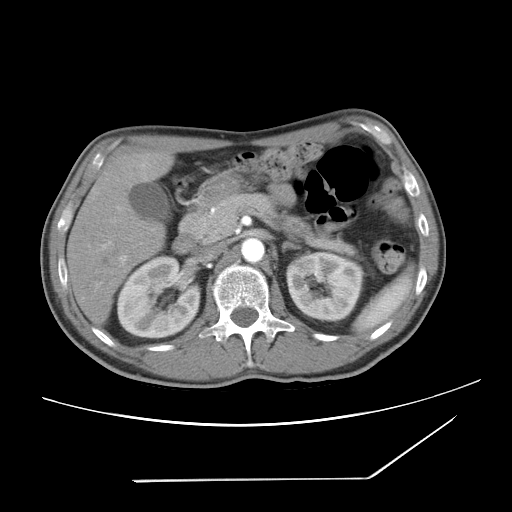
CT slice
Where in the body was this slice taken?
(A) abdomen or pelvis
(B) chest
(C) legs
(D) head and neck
Answer: (A) abdomen or pelvis
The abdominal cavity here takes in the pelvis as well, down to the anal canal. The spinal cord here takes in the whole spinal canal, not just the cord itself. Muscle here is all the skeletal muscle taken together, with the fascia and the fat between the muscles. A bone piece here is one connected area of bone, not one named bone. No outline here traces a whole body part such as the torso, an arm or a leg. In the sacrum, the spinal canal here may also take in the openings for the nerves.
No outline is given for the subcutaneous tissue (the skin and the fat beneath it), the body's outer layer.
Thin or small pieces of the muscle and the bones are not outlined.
{"spinal_cord":[[[238,307],[248,307],[249,308],[252,308],[254,309],[257,312],[258,314],[258,316],[257,318],[252,323],[251,323],[247,326],[240,326],[238,325],[236,323],[235,323],[232,320],[231,318],[231,314],[233,312],[233,311]]],"abdominal_cavity":[[[339,123],[373,136],[401,177],[416,218],[414,291],[391,319],[365,335],[317,331],[287,310],[277,287],[270,293],[258,268],[238,263],[208,281],[202,312],[170,340],[126,345],[82,315],[68,289],[66,234],[119,142],[133,138],[180,151],[285,144]]],"bones":[{"outer":[[232,264],[258,269],[268,284],[272,314],[295,326],[293,331],[278,331],[271,342],[267,341],[262,332],[257,332],[250,346],[252,367],[245,365],[247,352],[238,334],[232,334],[222,342],[213,335],[203,338],[198,336],[219,318],[212,285],[218,274]],"hole":[[238,307],[248,307],[249,308],[252,308],[254,309],[257,312],[258,314],[258,316],[257,318],[252,323],[251,323],[247,326],[240,326],[238,325],[236,323],[235,323],[232,320],[231,318],[231,314],[233,312],[233,311]]},[[354,122],[362,122],[363,123],[366,123],[367,124],[372,124],[373,125],[377,125],[387,133],[387,134],[389,136],[391,140],[391,142],[388,144],[386,144],[385,143],[383,143],[379,141],[369,132],[363,129],[361,127],[357,125],[355,125],[353,123]],[[402,166],[404,166],[408,170],[409,170],[415,177],[415,179],[418,184],[418,186],[420,190],[420,193],[418,196],[410,196],[406,191],[404,187],[404,183],[403,182],[403,179],[402,178],[402,175],[403,174],[403,170],[402,169]],[[69,201],[71,201],[72,202],[72,212],[73,213],[72,214],[72,218],[71,219],[71,222],[69,225],[69,227],[67,231],[66,232],[62,232],[60,230],[57,229],[57,223],[58,222],[58,220],[60,218],[60,216],[63,209],[66,206]],[[61,256],[62,256],[64,259],[64,261],[65,262],[65,267],[67,270],[67,288],[66,289],[64,289],[62,287],[62,286],[60,283],[60,281],[59,280],[59,277],[58,276],[58,272],[57,271],[57,262],[58,261],[58,258]],[[420,266],[424,266],[425,268],[425,270],[426,271],[426,273],[427,274],[427,280],[426,281],[426,283],[425,284],[425,286],[424,288],[421,291],[421,292],[417,295],[415,293],[415,286],[416,285],[416,280],[417,279],[417,276],[418,275],[418,270]],[[421,212],[424,214],[424,215],[425,216],[425,217],[427,220],[427,222],[428,223],[428,227],[429,228],[429,234],[427,236],[424,236],[420,232],[420,231],[419,230],[418,227],[416,225],[416,219],[418,217],[419,214]],[[92,326],[93,326],[96,328],[98,328],[99,329],[102,330],[106,334],[107,334],[110,337],[110,338],[115,343],[115,346],[114,347],[112,347],[111,346],[109,346],[107,344],[104,343],[97,336],[96,336],[96,335],[91,330],[91,327]],[[97,151],[100,151],[103,154],[103,155],[104,156],[104,159],[103,160],[103,162],[100,166],[100,167],[97,170],[95,170],[94,171],[93,171],[91,169],[90,169],[90,168],[89,167],[89,164],[90,163],[90,161],[91,160],[92,157]],[[390,320],[392,321],[391,323],[391,325],[381,335],[380,335],[375,339],[373,339],[372,340],[369,338],[369,336],[370,334],[374,330],[375,330],[377,328],[378,328],[380,326],[381,326],[383,324],[384,324],[386,322]],[[160,343],[164,343],[165,344],[172,344],[173,345],[174,345],[174,348],[173,349],[171,349],[170,350],[167,350],[166,351],[152,351],[151,350],[148,350],[146,348],[149,345],[154,345],[155,344],[159,344]],[[315,332],[320,332],[321,333],[324,333],[325,334],[330,334],[331,335],[338,335],[339,336],[339,337],[337,339],[336,339],[335,340],[332,340],[331,341],[322,341],[321,340],[318,340],[312,336],[312,334]]],"muscle":[{"outer":[[348,114],[358,114],[370,117],[381,122],[391,131],[423,181],[437,225],[439,236],[439,252],[438,253],[437,271],[430,282],[430,285],[427,289],[427,293],[425,297],[414,313],[410,322],[396,336],[373,348],[355,361],[330,370],[313,373],[285,374],[265,371],[261,369],[255,369],[251,371],[243,370],[235,375],[229,377],[216,378],[205,381],[194,381],[168,378],[153,374],[110,356],[93,346],[82,337],[75,329],[71,322],[65,316],[62,308],[56,300],[56,294],[53,290],[50,279],[49,253],[48,252],[50,227],[54,217],[54,214],[80,164],[90,150],[98,142],[107,137],[115,136],[123,133],[158,133],[183,136],[210,137],[232,140],[259,138],[316,125]],"hole":[[354,122],[377,125],[387,133],[390,143],[375,140],[398,176],[404,166],[415,177],[420,193],[409,199],[415,217],[423,213],[429,228],[427,236],[417,229],[425,286],[411,294],[375,339],[369,333],[316,339],[312,334],[317,331],[287,310],[276,287],[269,294],[270,310],[295,329],[278,331],[271,342],[257,332],[250,346],[254,365],[248,367],[238,334],[222,342],[213,335],[198,336],[219,318],[210,279],[200,315],[182,334],[164,342],[173,349],[152,351],[148,344],[130,346],[111,336],[112,347],[96,336],[62,287],[57,262],[67,233],[57,223],[69,201],[75,211],[94,179],[97,171],[89,164],[97,151],[105,157],[112,143],[130,138],[180,151],[285,144]]}]}